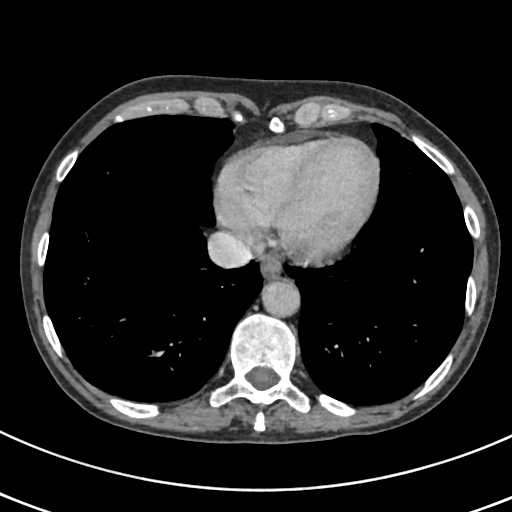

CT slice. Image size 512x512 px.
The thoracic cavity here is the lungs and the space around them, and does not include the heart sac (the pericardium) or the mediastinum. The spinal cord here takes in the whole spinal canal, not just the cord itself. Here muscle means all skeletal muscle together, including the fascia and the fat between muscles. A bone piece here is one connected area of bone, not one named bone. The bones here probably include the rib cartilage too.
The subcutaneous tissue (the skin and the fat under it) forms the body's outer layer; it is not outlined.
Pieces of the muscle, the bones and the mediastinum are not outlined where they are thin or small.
{"muscle":[[[177,90],[238,92],[261,113],[310,95],[345,98],[396,114],[456,164],[485,216],[487,299],[467,354],[429,400],[385,423],[336,431],[267,431],[259,409],[254,430],[184,432],[110,415],[57,369],[32,309],[30,245],[62,158],[55,170],[60,183],[50,228],[36,246],[36,263],[43,267],[42,328],[55,353],[62,358],[65,352],[87,381],[113,395],[107,400],[120,413],[156,417],[156,403],[196,393],[227,354],[232,376],[210,392],[211,407],[237,398],[263,406],[283,400],[307,413],[310,397],[291,379],[299,355],[320,392],[318,403],[340,417],[355,415],[354,406],[394,401],[420,385],[416,400],[437,386],[453,363],[450,350],[465,314],[476,305],[472,238],[478,239],[481,229],[474,208],[468,202],[462,207],[448,176],[455,168],[443,153],[415,133],[409,140],[377,122],[326,124],[349,116],[351,110],[338,103],[303,103],[292,118],[299,127],[276,114],[267,124],[246,119],[237,107],[228,116],[217,99],[199,96],[191,105],[182,98],[128,105],[80,153],[74,148],[66,154],[118,105]]],"torso":[[[171,73],[370,85],[411,105],[464,152],[482,178],[497,215],[500,265],[495,302],[480,347],[439,404],[411,422],[373,434],[287,444],[206,443],[110,424],[88,413],[60,388],[36,349],[23,307],[19,250],[31,188],[53,146],[92,104],[132,80]]],"spinal_cord":[[[255,367],[267,367],[268,368],[270,368],[272,369],[275,372],[275,373],[279,378],[277,382],[273,385],[270,386],[268,388],[266,388],[265,389],[258,389],[256,388],[252,384],[252,383],[247,379],[247,377],[246,376],[247,374],[253,368]]],"mediastinum":[[[200,226],[214,226],[253,249],[276,259],[301,265],[284,265],[287,275],[295,280],[300,293],[301,304],[297,335],[282,319],[262,312],[250,313],[241,318],[262,287],[263,278],[259,265],[256,261],[251,260],[237,268],[217,266],[209,257],[207,241]],[[227,116],[241,124],[246,120],[265,121],[268,129],[274,133],[283,132],[286,125],[305,128],[352,122],[371,123],[377,139],[377,156],[355,135],[337,130],[297,129],[263,139],[228,155],[212,185],[211,176],[214,162],[233,140],[234,125],[225,117]],[[353,240],[353,245],[351,247],[350,250],[338,259],[336,259],[333,262],[329,263],[326,265],[316,266],[315,267],[314,266],[309,266],[308,265],[303,266],[304,264],[312,264],[313,263],[316,263],[322,261],[339,253],[348,245],[350,241]]],"bones":[{"outer":[[254,313],[262,313],[282,320],[297,336],[299,354],[291,370],[290,379],[309,397],[310,408],[307,412],[296,410],[283,399],[277,399],[263,405],[255,404],[244,397],[237,397],[218,407],[210,405],[211,392],[233,376],[228,356],[233,330],[241,319]],"hole":[[255,367],[267,367],[268,368],[270,368],[272,369],[275,372],[275,373],[279,378],[277,382],[273,385],[270,386],[268,388],[266,388],[265,389],[258,389],[256,388],[252,384],[252,383],[247,379],[247,377],[246,376],[247,374],[253,368]]},[[199,97],[208,97],[217,100],[226,113],[226,116],[224,117],[200,115],[191,106],[183,113],[178,114],[161,113],[128,119],[116,123],[114,123],[113,121],[114,116],[128,106],[142,102],[155,102],[166,99],[182,99],[189,103],[191,106],[194,100]],[[307,102],[317,102],[321,105],[324,105],[325,104],[338,104],[347,107],[350,110],[350,112],[347,117],[336,121],[327,121],[324,125],[320,125],[319,123],[314,122],[310,125],[303,126],[295,123],[293,118],[294,117],[294,113],[295,111],[300,106]],[[110,396],[116,396],[117,397],[119,397],[123,399],[126,399],[127,400],[130,400],[134,402],[140,402],[141,403],[154,403],[158,406],[158,408],[159,409],[159,413],[154,417],[149,417],[148,418],[131,417],[117,410],[109,402],[108,399]],[[412,134],[415,134],[426,143],[427,143],[432,147],[435,148],[442,154],[443,154],[451,162],[451,163],[454,168],[454,173],[453,174],[451,174],[450,175],[448,175],[446,173],[445,173],[429,157],[428,157],[416,145],[415,145],[410,140],[410,136]],[[449,352],[452,352],[453,354],[453,360],[447,373],[444,376],[444,377],[437,384],[437,385],[436,385],[427,393],[424,394],[422,396],[416,399],[413,399],[414,395],[416,394],[421,389],[425,380],[438,367],[438,366],[442,362],[442,361],[449,353]],[[321,392],[327,395],[329,395],[338,400],[343,401],[355,407],[357,410],[357,412],[355,414],[353,415],[351,415],[350,416],[340,416],[339,415],[334,414],[332,412],[327,410],[324,407],[321,406],[321,405],[319,403],[317,399],[317,396]],[[46,312],[48,314],[49,317],[51,319],[51,321],[53,324],[53,326],[56,332],[56,334],[64,350],[62,357],[60,357],[53,349],[52,346],[50,344],[45,334],[45,332],[43,328],[43,323],[42,322],[42,316],[43,314]],[[467,203],[468,203],[473,208],[478,218],[478,221],[479,222],[479,228],[480,229],[480,235],[478,238],[473,238],[470,235],[467,229],[467,227],[465,224],[465,221],[464,220],[464,217],[463,216],[463,206]],[[74,149],[79,149],[79,154],[74,164],[72,166],[70,170],[67,173],[64,179],[61,182],[58,182],[56,180],[56,178],[55,177],[56,176],[56,170],[58,166],[60,164],[61,161],[63,159],[63,158],[68,153],[69,153]],[[469,274],[471,274],[473,276],[474,280],[475,281],[475,284],[476,285],[476,300],[475,301],[474,309],[472,313],[470,315],[467,315],[465,313],[465,307],[464,306],[464,304],[465,303],[465,293],[466,292],[466,284],[467,283],[467,279],[468,278]],[[45,230],[47,230],[49,232],[49,242],[48,243],[48,246],[47,247],[47,252],[46,253],[45,262],[44,263],[44,265],[42,267],[41,267],[40,266],[39,266],[37,263],[37,246],[38,245],[38,242],[39,241],[39,239],[40,238],[42,233]],[[274,115],[276,115],[277,116],[278,116],[284,122],[284,124],[285,125],[285,129],[283,131],[282,131],[281,132],[274,132],[273,131],[272,131],[271,130],[270,130],[268,127],[268,123],[269,122],[269,121],[270,120],[270,119],[271,118],[271,117]]],"thoracic_cavity":[[[161,114],[225,118],[232,123],[232,140],[213,162],[210,176],[215,222],[199,227],[208,257],[217,267],[237,269],[254,261],[262,281],[234,326],[215,375],[186,397],[155,403],[114,395],[73,365],[47,311],[43,279],[58,189],[79,155],[113,124]],[[372,123],[388,127],[410,141],[447,175],[471,237],[472,261],[465,284],[462,326],[437,367],[422,384],[399,398],[352,405],[320,391],[302,362],[298,338],[301,293],[285,265],[315,268],[333,263],[351,250],[356,236],[370,219],[378,203],[381,172]]],"pericardium":[[[303,129],[337,131],[355,136],[379,158],[380,172],[377,200],[373,210],[353,239],[339,252],[327,258],[312,263],[300,264],[296,261],[276,258],[253,248],[233,235],[217,228],[214,225],[216,221],[213,208],[212,186],[217,181],[228,156],[263,140]]]}